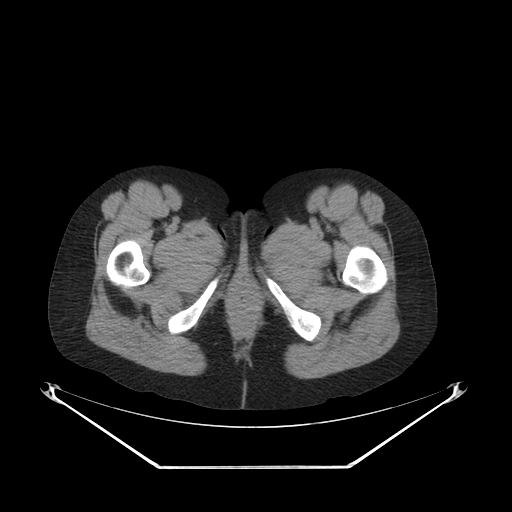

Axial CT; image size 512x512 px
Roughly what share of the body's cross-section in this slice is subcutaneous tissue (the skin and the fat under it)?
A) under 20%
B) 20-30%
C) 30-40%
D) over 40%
D) over 40%
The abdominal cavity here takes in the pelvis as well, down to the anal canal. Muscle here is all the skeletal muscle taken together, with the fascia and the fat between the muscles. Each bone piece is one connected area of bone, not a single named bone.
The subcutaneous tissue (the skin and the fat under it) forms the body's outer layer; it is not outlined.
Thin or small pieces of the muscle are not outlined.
Outlines (x, y in pixels):
muscle: 142 177; 168 177; 179 186; 221 236; 223 264; 243 268; 260 260; 262 242; 289 218; 303 189; 331 180; 375 192; 388 216; 403 332; 369 363; 320 378; 294 377; 284 369; 283 353; 297 340; 294 331; 311 342; 322 319; 266 276; 291 328; 267 301; 264 323; 246 361; 233 356; 222 299; 190 336; 207 358; 203 374; 153 370; 96 345; 85 334; 84 319; 95 267; 97 212; 110 193 with holes at 356 245; 364 245; 365 246; 368 246; 373 249; 379 256; 386 268; 388 280; 385 285; 379 291; 375 293; 372 294; 364 294; 361 293; 353 287; 345 285; 342 282; 341 275; 342 274; 342 271; 345 266; 347 255; 350 249 and at 127 239; 133 239; 139 244; 143 255; 143 261; 144 264; 150 272; 150 276; 149 279; 145 283; 140 285; 129 287; 123 290; 120 287; 115 286; 111 283; 108 279; 106 273; 106 263; 107 262; 108 256; 114 246; 120 241; 126 240 and at 238 282; 247 282; 253 286; 259 294; 259 309; 257 312; 257 323; 255 325; 255 329; 253 330; 253 333; 251 334; 251 337; 247 346; 243 351; 238 349; 237 346; 238 342; 232 330; 230 314; 228 311; 228 296; 230 294; 232 287 and at 216 277; 219 278; 218 284; 213 293; 208 299; 204 308; 201 312; 201 314; 197 322; 191 328; 184 332; 176 333; 175 334; 171 333; 168 330; 168 327; 167 326; 168 318; 171 315; 180 310; 187 308; 192 304; 203 292; 209 282
abdominal cavity: 238 282; 247 282; 253 286; 259 294; 259 309; 257 312; 257 323; 255 325; 255 329; 253 330; 253 333; 251 334; 251 337; 247 346; 243 351; 238 349; 237 346; 238 342; 232 330; 230 314; 228 311; 228 296; 230 294; 232 287
bones 1: 356 245; 364 245; 365 246; 368 246; 373 249; 379 256; 386 268; 388 280; 385 285; 379 291; 375 293; 372 294; 364 294; 361 293; 353 287; 345 285; 342 282; 341 275; 342 274; 342 271; 345 266; 347 255; 350 249
bones 2: 127 239; 133 239; 139 244; 143 255; 143 261; 144 264; 150 272; 150 276; 149 279; 145 283; 140 285; 129 287; 123 290; 120 287; 115 286; 111 283; 108 279; 106 273; 106 263; 107 262; 108 256; 114 246; 120 241; 126 240
bones 3: 266 277; 269 277; 275 281; 279 285; 285 294; 297 306; 303 309; 311 311; 317 314; 320 317; 321 319; 320 329; 317 335; 311 341; 308 341; 301 337; 290 326; 290 324; 281 305; 278 300; 270 291; 266 284; 265 281; 265 278
bones 4: 216 277; 219 278; 218 284; 213 293; 208 299; 204 308; 201 312; 201 314; 197 322; 191 328; 184 332; 176 333; 175 334; 171 333; 168 330; 168 327; 167 326; 168 318; 171 315; 180 310; 187 308; 192 304; 203 292; 209 282
torso: 158 163; 214 179; 240 209; 257 205; 274 182; 305 169; 348 167; 379 180; 409 205; 423 227; 437 289; 433 339; 400 376; 387 383; 354 397; 291 410; 204 407; 130 389; 68 360; 52 340; 47 297; 69 219; 94 189; 117 172